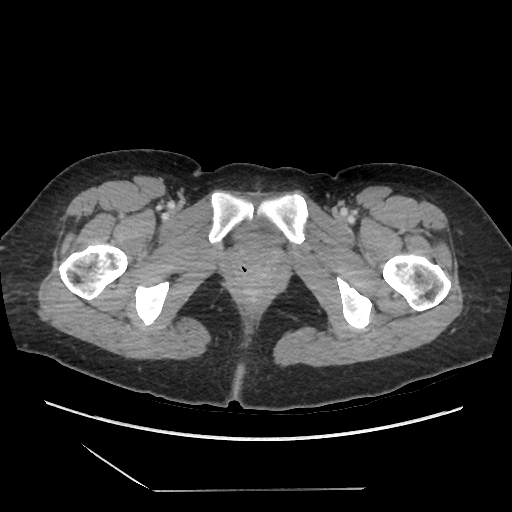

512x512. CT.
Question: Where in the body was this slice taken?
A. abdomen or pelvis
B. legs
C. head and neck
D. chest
Answer: A. abdomen or pelvis
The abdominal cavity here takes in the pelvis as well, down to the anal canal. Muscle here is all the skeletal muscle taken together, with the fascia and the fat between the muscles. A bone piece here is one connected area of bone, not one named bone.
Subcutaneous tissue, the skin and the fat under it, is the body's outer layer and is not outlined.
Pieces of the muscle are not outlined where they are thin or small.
The muscle is outlined by [[130,175],[157,177],[191,203],[218,188],[297,189],[324,209],[371,185],[414,193],[432,201],[447,217],[456,250],[462,310],[435,339],[408,351],[351,364],[280,367],[272,356],[277,341],[306,326],[323,329],[326,325],[327,316],[312,292],[292,275],[245,345],[237,309],[222,281],[212,274],[178,312],[208,330],[207,351],[175,360],[138,360],[110,352],[42,321],[37,313],[38,288],[51,267],[70,201],[97,183]] with holes at [[216,190],[243,196],[251,201],[255,207],[266,198],[297,191],[307,205],[305,239],[299,244],[286,240],[288,269],[282,281],[253,318],[249,318],[243,311],[224,272],[222,263],[226,237],[214,244],[208,238],[212,225],[210,200],[212,193]] and at [[397,254],[423,255],[427,257],[432,262],[437,264],[444,271],[445,274],[449,278],[451,282],[451,286],[447,295],[438,304],[430,308],[422,311],[414,310],[408,304],[405,298],[401,294],[394,290],[385,281],[382,275],[382,266],[384,263],[388,259]] and at [[105,243],[118,247],[126,254],[127,260],[128,261],[127,267],[124,272],[120,276],[112,282],[109,283],[96,297],[90,300],[86,300],[73,293],[64,284],[60,277],[58,268],[59,265],[71,253],[82,250],[88,245],[91,245],[92,244],[104,244]] and at [[337,276],[339,276],[345,280],[351,286],[353,286],[359,292],[367,296],[370,299],[372,303],[372,307],[370,312],[370,321],[365,327],[363,328],[355,328],[349,325],[344,318],[342,313],[342,304],[341,303],[340,292],[339,291],[338,284],[336,280]] and at [[163,281],[168,281],[169,282],[169,287],[168,288],[168,291],[167,292],[167,294],[162,307],[162,310],[158,317],[153,322],[153,323],[149,325],[145,325],[143,321],[139,317],[135,308],[135,290],[138,285],[142,285],[143,286],[151,286]]. The torso is outlined by [[130,148],[182,153],[204,171],[249,162],[333,175],[356,164],[397,162],[451,178],[481,204],[511,244],[508,298],[491,356],[383,395],[271,411],[245,409],[235,400],[226,407],[170,401],[20,351],[3,297],[1,236],[65,167],[91,154]]. The abdominal cavity is outlined by [[254,219],[265,222],[274,228],[284,237],[288,246],[288,269],[282,281],[265,302],[256,316],[253,318],[249,318],[242,309],[242,306],[224,272],[224,268],[222,263],[224,255],[224,241],[226,237],[233,229],[241,223],[243,222],[249,223]]. The bones appear in 5 outlined pieces: piece 1: [[216,190],[243,196],[251,201],[255,207],[266,198],[297,191],[304,198],[307,205],[308,217],[304,227],[305,239],[299,244],[291,243],[266,219],[255,217],[249,222],[244,220],[236,225],[220,242],[211,243],[208,238],[212,225],[210,200],[212,193]]; piece 2: [[397,254],[423,255],[427,257],[432,262],[437,264],[444,271],[445,274],[449,278],[451,282],[451,286],[447,295],[438,304],[430,308],[422,311],[414,310],[408,304],[405,298],[401,294],[394,290],[385,281],[382,275],[382,266],[384,263],[388,259]]; piece 3: [[105,243],[118,247],[126,254],[127,260],[128,261],[127,267],[124,272],[120,276],[112,282],[109,283],[96,297],[90,300],[86,300],[73,293],[64,284],[60,277],[58,268],[59,265],[71,253],[82,250],[88,245],[91,245],[92,244],[104,244]]; piece 4: [[337,276],[339,276],[345,280],[351,286],[353,286],[359,292],[367,296],[370,299],[372,303],[372,307],[370,312],[370,321],[365,327],[363,328],[355,328],[349,325],[344,318],[342,313],[342,304],[341,303],[340,292],[339,291],[338,284],[336,280]]; piece 5: [[163,281],[168,281],[169,282],[169,287],[168,288],[168,291],[167,292],[167,294],[162,307],[162,310],[158,317],[153,322],[153,323],[149,325],[145,325],[143,321],[139,317],[135,308],[135,290],[138,285],[142,285],[143,286],[151,286]].